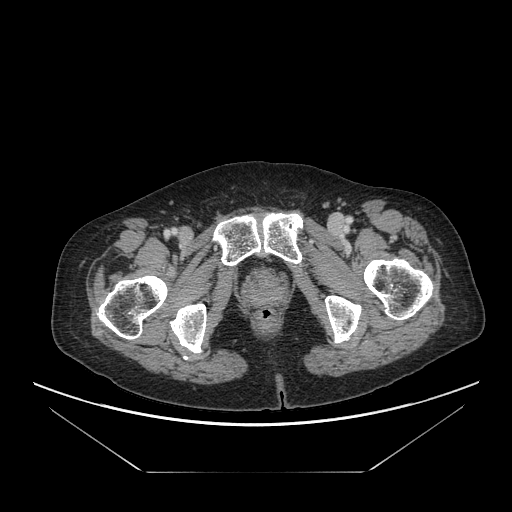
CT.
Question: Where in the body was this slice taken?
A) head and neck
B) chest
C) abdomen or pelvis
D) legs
Answer: C) abdomen or pelvis
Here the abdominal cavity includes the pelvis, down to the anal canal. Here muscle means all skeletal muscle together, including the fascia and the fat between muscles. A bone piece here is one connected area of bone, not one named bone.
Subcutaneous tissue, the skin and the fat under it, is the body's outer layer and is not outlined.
The torso is outlined by (248, 160) (309, 164) (433, 201) (450, 219) (466, 249) (485, 309) (482, 333) (422, 370) (370, 394) (311, 408) (288, 410) (283, 406) (279, 411) (203, 410) (150, 400) (118, 388) (63, 354) (53, 340) (50, 319) (57, 263) (70, 236) (88, 221) (178, 179). The bones appear in 5 outlined pieces: piece 1: (275, 212) (295, 212) (301, 216) (303, 228) (297, 240) (297, 244) (302, 253) (301, 263) (294, 265) (272, 254) (261, 256) (252, 254) (235, 266) (224, 265) (220, 259) (221, 248) (217, 243) (211, 240) (217, 224) (224, 219) (244, 214) (249, 214) (259, 221) (263, 217); piece 2: (395, 257) (403, 258) (409, 262) (414, 268) (421, 269) (428, 275) (433, 284) (432, 294) (429, 299) (412, 316) (407, 319) (404, 319) (403, 320) (393, 319) (386, 315) (383, 312) (383, 308) (379, 300) (368, 288) (363, 278) (364, 268) (371, 260) (373, 259) (390, 260); piece 3: (148, 274) (155, 275) (161, 278) (166, 283) (168, 288) (166, 298) (162, 305) (157, 310) (150, 314) (143, 321) (142, 325) (143, 331) (141, 335) (134, 339) (125, 339) (118, 336) (99, 319) (97, 316) (98, 308) (107, 294) (112, 290) (114, 285) (119, 280) (133, 279); piece 4: (192, 303) (201, 303) (205, 305) (206, 307) (207, 319) (206, 320) (206, 328) (204, 333) (204, 338) (202, 343) (202, 348) (203, 349) (203, 352) (202, 353) (194, 353) (184, 346) (181, 345) (179, 342) (178, 338) (172, 331) (169, 322) (175, 317) (176, 312) (180, 307); piece 5: (329, 294) (335, 294) (336, 295) (342, 296) (355, 303) (360, 304) (362, 307) (362, 311) (357, 324) (357, 327) (351, 334) (349, 339) (336, 344) (333, 342) (333, 336) (332, 335) (333, 333) (329, 323) (328, 316) (325, 308) (325, 303) (324, 302) (324, 300) (326, 296). The muscle is outlined by (372, 199) (385, 199) (418, 218) (439, 256) (444, 323) (408, 355) (340, 377) (308, 372) (302, 355) (325, 341) (325, 331) (298, 290) (293, 293) (283, 328) (268, 340) (253, 333) (234, 302) (228, 306) (211, 335) (211, 342) (216, 348) (241, 355) (248, 370) (242, 377) (222, 383) (199, 384) (149, 372) (101, 343) (90, 332) (86, 274) (122, 219) (142, 217) (167, 233) (185, 235) (246, 206) (273, 206) (298, 210) (321, 225) (337, 227) (357, 206) with holes at (275, 212) (295, 212) (301, 216) (303, 228) (297, 240) (297, 244) (302, 253) (301, 263) (294, 265) (272, 254) (261, 256) (252, 254) (235, 266) (224, 265) (220, 259) (221, 248) (217, 243) (211, 240) (217, 224) (224, 219) (244, 214) (249, 214) (259, 221) (263, 217) and at (395, 257) (403, 258) (409, 262) (414, 268) (421, 269) (428, 275) (433, 284) (432, 294) (429, 299) (412, 316) (407, 319) (404, 319) (403, 320) (393, 319) (386, 315) (383, 312) (383, 308) (379, 300) (368, 288) (363, 278) (364, 268) (371, 260) (373, 259) (390, 260) and at (148, 274) (155, 275) (161, 278) (166, 283) (168, 288) (166, 298) (162, 305) (157, 310) (150, 314) (143, 321) (142, 325) (143, 331) (141, 335) (134, 339) (125, 339) (118, 336) (99, 319) (97, 316) (98, 308) (107, 294) (112, 290) (114, 285) (119, 280) (133, 279) and at (252, 257) (275, 259) (285, 265) (289, 269) (291, 273) (291, 286) (290, 287) (286, 301) (280, 311) (276, 324) (273, 327) (269, 329) (263, 329) (261, 328) (254, 320) (249, 310) (244, 304) (244, 302) (240, 292) (240, 269) (241, 268) (241, 266) (247, 259) and at (192, 303) (201, 303) (205, 305) (206, 307) (207, 319) (206, 320) (206, 328) (204, 333) (204, 338) (202, 343) (202, 348) (203, 349) (203, 352) (202, 353) (194, 353) (184, 346) (181, 345) (179, 342) (178, 338) (172, 331) (169, 322) (175, 317) (176, 312) (180, 307) and at (329, 294) (335, 294) (336, 295) (342, 296) (355, 303) (360, 304) (362, 307) (362, 311) (357, 324) (357, 327) (351, 334) (349, 339) (336, 344) (333, 342) (333, 336) (332, 335) (333, 333) (329, 323) (328, 316) (325, 308) (325, 303) (324, 302) (324, 300) (326, 296). The abdominal cavity is outlined by (252, 257) (275, 259) (285, 265) (289, 269) (291, 273) (291, 286) (290, 287) (286, 301) (280, 311) (276, 324) (273, 327) (269, 329) (263, 329) (261, 328) (254, 320) (249, 310) (244, 304) (244, 302) (240, 292) (240, 269) (241, 268) (241, 266) (247, 259).